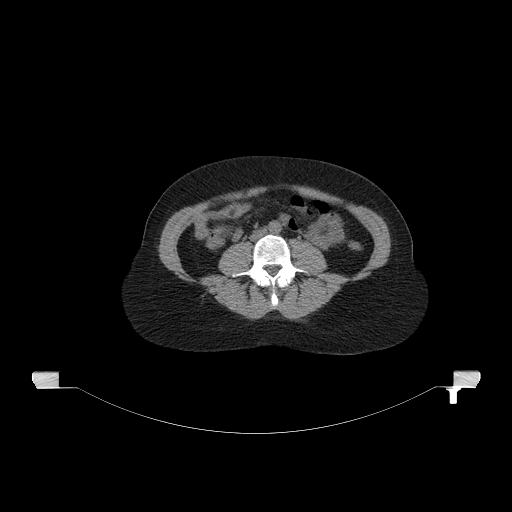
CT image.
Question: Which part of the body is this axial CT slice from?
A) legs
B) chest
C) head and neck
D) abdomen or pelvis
Answer: D) abdomen or pelvis
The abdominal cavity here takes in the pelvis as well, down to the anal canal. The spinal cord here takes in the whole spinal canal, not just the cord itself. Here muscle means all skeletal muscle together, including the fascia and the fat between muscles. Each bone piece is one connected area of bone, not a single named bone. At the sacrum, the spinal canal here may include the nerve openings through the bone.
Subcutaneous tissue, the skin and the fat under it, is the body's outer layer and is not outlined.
{"muscle":[{"outer":[[280,183],[305,185],[338,196],[355,204],[368,207],[381,216],[388,227],[391,239],[391,248],[387,262],[383,266],[375,269],[367,277],[343,285],[341,289],[323,307],[299,319],[285,318],[277,310],[271,310],[262,318],[254,320],[247,319],[219,304],[211,294],[205,293],[204,289],[200,286],[182,280],[161,262],[158,255],[158,245],[161,232],[169,217],[176,211],[183,207],[194,205],[214,196],[228,192]],"hole":[[277,189],[341,206],[365,227],[373,247],[357,272],[327,271],[319,249],[290,238],[291,262],[307,272],[275,288],[273,307],[270,286],[245,274],[232,276],[251,267],[250,241],[222,252],[221,273],[194,277],[183,267],[178,242],[196,217],[223,202]]}],"spinal_cord":[[[266,265],[279,265],[280,266],[280,268],[277,271],[277,272],[274,275],[271,275],[270,274],[269,274],[268,273],[268,272],[264,268],[264,267]]],"bones":[{"outer":[[266,234],[283,237],[288,244],[292,264],[307,272],[298,271],[295,273],[292,282],[286,286],[277,286],[275,288],[278,298],[275,307],[271,303],[272,288],[270,286],[257,285],[245,274],[232,276],[234,273],[246,271],[251,267],[253,263],[254,244]],"hole":[[266,265],[279,265],[280,266],[280,268],[277,271],[277,272],[274,275],[271,275],[270,274],[269,274],[268,273],[268,272],[264,268],[264,267]]}],"torso":[[[258,153],[315,157],[342,165],[369,178],[391,198],[406,221],[413,241],[414,261],[429,284],[426,314],[417,330],[405,341],[355,355],[313,354],[279,347],[204,353],[160,347],[133,331],[122,309],[119,286],[158,198],[173,181],[199,165],[224,157]]],"abdominal_cavity":[[[277,189],[341,206],[365,227],[373,247],[357,272],[349,276],[327,271],[328,264],[319,249],[305,240],[294,237],[287,241],[274,233],[266,233],[253,245],[243,240],[226,248],[217,262],[221,273],[194,277],[183,267],[178,242],[196,217],[223,202]]]}